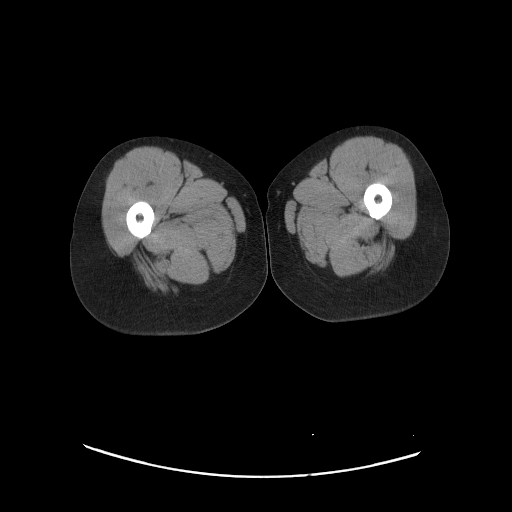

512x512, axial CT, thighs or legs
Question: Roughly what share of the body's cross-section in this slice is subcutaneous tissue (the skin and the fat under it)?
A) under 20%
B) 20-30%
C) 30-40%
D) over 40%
Answer: D) over 40%
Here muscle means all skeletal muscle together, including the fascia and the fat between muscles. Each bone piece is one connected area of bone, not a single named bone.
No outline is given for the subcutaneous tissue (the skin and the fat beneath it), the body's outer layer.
Outlined structures:
muscle 1: 142 145; 158 146; 186 157; 213 177; 222 182; 238 197; 245 211; 246 228; 239 256; 222 282; 202 293; 167 296; 146 289; 137 276; 112 253; 106 242; 101 225; 101 205; 105 189; 106 177; 113 166; 115 160; 121 157; 130 149 with a hole at 139 200; 143 200; 144 201; 146 201; 152 207; 153 211; 154 212; 154 220; 152 224; 151 231; 149 233; 149 234; 142 238; 138 238; 136 237; 129 231; 126 224; 126 219; 125 218; 126 216; 126 212; 128 208; 133 203
muscle 2: 358 135; 374 135; 388 139; 403 149; 414 172; 417 220; 413 233; 402 244; 394 260; 383 272; 370 280; 345 284; 323 278; 305 264; 294 248; 289 233; 286 230; 284 222; 284 207; 288 190; 292 182; 298 176; 341 142; 350 137, around a hole outlined by 373 182; 380 182; 384 184; 390 190; 391 192; 391 194; 392 195; 392 203; 391 204; 391 207; 388 211; 388 212; 380 219; 375 219; 371 217; 369 215; 368 213; 368 211; 363 202; 363 194; 364 193; 364 191; 366 187; 369 184
right leg: 144 135; 164 135; 187 140; 225 159; 250 183; 263 215; 268 271; 262 290; 253 303; 235 318; 219 327; 198 334; 132 336; 118 333; 96 321; 86 311; 72 284; 69 269; 69 242; 74 212; 83 187; 93 168; 107 151; 125 140
left leg: 359 124; 374 124; 396 130; 410 139; 422 153; 443 196; 450 225; 450 249; 441 279; 433 291; 419 304; 396 315; 336 323; 322 320; 307 313; 286 297; 274 282; 269 270; 264 218; 267 208; 266 193; 276 174; 304 148; 335 130
bones 1: 139 200; 143 200; 144 201; 146 201; 152 207; 153 211; 154 212; 154 220; 152 224; 151 231; 149 233; 149 234; 142 238; 138 238; 136 237; 129 231; 126 224; 126 219; 125 218; 126 216; 126 212; 128 208; 133 203
bones 2: 373 182; 380 182; 384 184; 390 190; 391 192; 391 194; 392 195; 392 203; 391 204; 391 207; 388 211; 388 212; 380 219; 375 219; 371 217; 369 215; 368 213; 368 211; 363 202; 363 194; 364 193; 364 191; 366 187; 369 184